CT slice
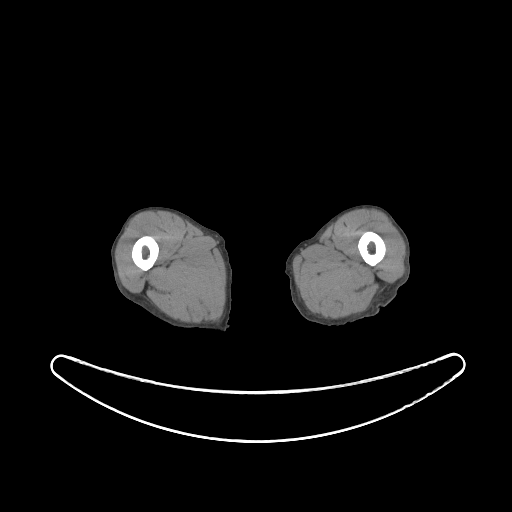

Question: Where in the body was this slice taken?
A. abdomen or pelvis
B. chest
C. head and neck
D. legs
Answer: D. legs
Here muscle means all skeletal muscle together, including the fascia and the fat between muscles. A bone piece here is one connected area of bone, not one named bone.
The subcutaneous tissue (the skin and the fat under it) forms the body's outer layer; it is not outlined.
Outlines:
left leg: 358,204 374,204 383,207 403,229 407,235 410,246 409,277 407,281 398,289 396,296 374,316 366,317 340,326 328,326 311,322 299,313 292,302 289,279 284,271 285,261 298,243 311,237 330,218 340,211
bones 1: 143,235 150,235 152,236 157,242 158,244 158,246 159,247 159,252 158,253 157,258 154,264 149,269 147,270 142,270 139,267 138,267 134,263 131,257 131,250 132,249 133,244 138,238 139,238
bones 2: 369,230 373,231 380,235 380,236 383,239 384,243 385,244 385,254 383,258 378,263 377,263 373,266 369,265 363,260 362,257 360,255 360,253 357,247 358,240 362,233 365,231 368,231
muscle 1: 147,210 164,210 175,213 199,228 204,234 218,241 217,247 223,258 226,271 225,305 223,313 218,321 201,321 196,323 174,319 161,311 148,299 139,294 130,292 122,285 115,260 116,245 131,218; inner edge: 143,235 150,235 152,236 157,242 158,244 158,246 159,247 159,252 158,253 157,258 154,264 149,269 147,270 142,270 139,267 138,267 134,263 131,257 131,250 132,249 133,244 138,238 139,238
muscle 2: 360,208 373,208 383,212 399,232 405,244 404,273 401,277 378,294 371,305 361,312 335,319 325,318 320,315 314,314 306,307 299,295 292,270 293,258 300,252 302,248 315,243 321,234 340,216 349,211, around a hole outlined by 369,230 373,231 380,235 380,236 383,239 384,243 385,244 385,254 383,258 378,263 377,263 373,266 369,265 363,260 362,257 360,255 360,253 357,247 358,240 362,233 365,231 368,231
right leg: 146,206 165,206 177,209 201,224 217,231 224,238 225,247 228,252 232,268 232,301 228,321 229,326 225,331 223,332 199,328 182,328 170,325 124,297 118,290 113,277 110,248 115,236 129,214 139,208